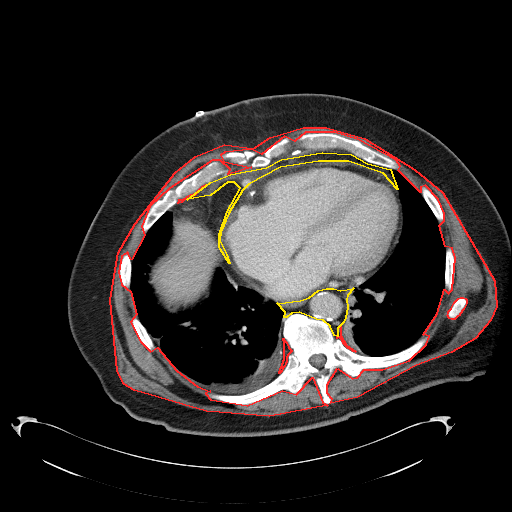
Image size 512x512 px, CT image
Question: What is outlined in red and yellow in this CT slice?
Answer: red: muscle; yellow: mediastinum.
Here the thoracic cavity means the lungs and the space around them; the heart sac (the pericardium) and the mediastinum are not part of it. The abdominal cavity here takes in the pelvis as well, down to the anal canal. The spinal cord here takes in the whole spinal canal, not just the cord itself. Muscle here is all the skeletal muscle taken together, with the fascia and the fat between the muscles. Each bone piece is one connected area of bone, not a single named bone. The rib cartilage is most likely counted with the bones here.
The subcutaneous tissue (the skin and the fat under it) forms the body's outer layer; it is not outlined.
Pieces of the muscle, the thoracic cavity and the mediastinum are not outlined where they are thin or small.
The muscle appears in 4 outlined pieces: piece 1: 303,127 326,127 364,138 414,169 442,192 494,280 496,306 490,320 475,338 451,352 416,365 357,397 330,403 332,399 327,393 327,384 337,368 352,378 357,377 364,369 382,369 409,360 426,344 429,336 423,334 437,313 444,289 448,293 452,289 455,257 452,248 445,246 439,225 444,220 444,213 438,199 425,185 420,187 420,192 398,170 400,166 396,160 357,139 334,132 305,132 294,141 284,136 261,154 251,149 224,152 220,155 223,161 251,167 228,174 230,169 220,160 212,160 169,188 149,206 141,226 144,235 131,259 127,252 121,256 118,272 121,284 130,291 136,314 130,322 140,341 150,351 157,347 176,370 197,386 210,391 205,393 210,399 247,405 282,390 296,394 312,377 322,402 327,405 269,416 206,411 134,390 124,384 117,371 110,299 118,252 135,223 175,172 195,156 224,144 253,148 270,137, around a hole outlined by 460,297 463,297 465,298 466,299 466,303 463,309 459,314 459,315 457,316 454,319 451,319 449,318 447,315 448,313 448,311 451,308 454,302 458,298; piece 2: 283,338 283,339 286,342 288,347 291,350 291,351 287,355 287,356 286,357 286,362 285,363 284,366 282,368 281,371 279,373 280,368 282,365 282,363 283,362 283,360 284,359 284,341 283,340; piece 3: 204,185 205,185 194,195 193,195 192,196 191,196 190,197 183,200 181,202 178,203 178,202 179,201 179,199 181,199 190,194 193,194 194,193 195,193 200,188 201,188 202,187 202,186 203,186; piece 4: 340,326 340,335 341,336 342,339 344,341 345,344 347,346 348,346 350,348 351,348 355,351 353,351 349,348 348,348 343,343 342,340 339,337 336,337 337,337 338,336 338,328. The mediastinum appears in 2 outlined pieces: piece 1: 322,152 351,154 367,163 390,169 397,189 383,173 348,161 318,161 280,167 248,184 242,190 228,213 220,232 219,240 226,254 229,263 220,249 219,246 219,234 227,211 240,188 234,182 227,182 210,195 187,199 210,182 230,174 266,167 281,159; piece 2: 326,288 333,288 340,290 353,288 347,295 346,299 347,307 345,317 343,322 337,328 337,336 334,335 330,326 323,320 316,319 299,312 291,313 286,317 284,317 285,312 277,303 300,300 309,297 318,290. The bones appear in 8 outlined pieces: piece 1: 295,313 325,322 348,349 368,356 391,355 422,336 428,339 396,364 364,368 353,377 337,367 326,384 328,404 312,376 296,393 282,389 251,403 231,404 206,393 240,395 272,381 292,351 282,335 282,319, around a hole outlined by 314,354 322,354 325,356 325,362 323,364 322,367 321,367 320,368 318,368 317,367 316,367 315,366 312,365 310,363 310,362 309,361 309,359 310,358 310,357 311,356 312,356; piece 2: 317,132 334,133 357,140 396,161 399,166 397,170 367,162 339,148 305,150 297,155 287,152 261,167 252,167 249,163 232,164 221,158 222,154 230,151 251,150 261,155 266,148 284,137 294,142 302,134; piece 3: 212,161 220,161 225,168 229,169 229,172 226,175 219,175 215,177 209,182 202,185 195,192 179,198 177,203 161,215 148,230 145,233 143,233 143,222 150,206 160,199 169,189 175,188 183,180 188,178; piece 4: 447,247 450,247 451,248 451,249 452,250 452,253 453,254 453,256 454,257 454,278 453,279 453,283 452,284 452,286 451,287 451,289 448,292 444,288 444,278 445,277 445,253 446,252 446,248; piece 5: 422,186 425,186 427,187 432,192 432,193 437,199 441,207 441,209 443,213 443,220 441,222 439,222 437,220 433,212 429,207 428,204 425,201 421,193 421,187; piece 6: 125,253 127,253 129,255 130,257 130,259 131,260 131,277 130,278 130,284 129,285 129,289 126,289 122,284 122,282 121,281 121,278 120,277 120,273 119,272 119,264 122,258 122,256; piece 7: 133,316 136,316 137,317 139,321 142,324 142,325 145,328 146,331 151,337 154,343 154,345 155,346 155,348 153,350 150,350 141,341 141,340 137,335 132,325 132,323 131,322 131,318; piece 8: 460,297 463,297 465,298 466,299 466,303 463,309 459,314 459,315 457,316 454,319 451,319 449,318 447,315 448,313 448,311 451,308 454,302 458,298. The abdominal cavity is outlined by 176,216 190,217 206,228 217,241 219,249 223,256 223,260 221,267 215,273 210,286 209,294 207,297 192,307 182,309 177,312 169,312 158,303 147,278 150,266 157,258 164,253 167,247 173,228 173,221. The pericardium is outlined by 318,162 348,162 369,168 386,176 398,192 402,212 400,235 393,250 378,269 367,278 356,283 355,286 342,289 326,287 300,299 276,302 239,277 230,265 220,235 229,213 248,185 278,171 280,168. The thoracic cavity appears in 2 outlined pieces: piece 1: 227,183 239,189 218,242 192,217 176,215 166,247 146,278 157,303 177,313 208,297 225,258 244,283 283,310 278,373 263,386 240,394 213,392 176,369 138,318 130,290 132,258 149,229 171,208 217,193; piece 2: 391,169 398,171 411,182 421,194 438,222 445,247 443,293 434,317 416,341 391,354 368,355 359,353 346,344 341,335 341,325 346,317 348,295 356,284 367,279 379,269 394,250 401,235 403,226 402,205. The spinal cord is outlined by 314,354 322,354 325,356 325,362 323,364 322,367 321,367 320,368 318,368 317,367 316,367 315,366 312,365 310,363 310,362 309,361 309,359 310,358 310,357 311,356 312,356. The torso is outlined by 302,92 353,98 418,125 465,164 493,202 509,238 509,279 501,327 484,373 393,399 344,421 285,434 203,436 168,431 132,417 106,394 79,351 68,321 70,273 98,208 132,156 169,126 238,100.